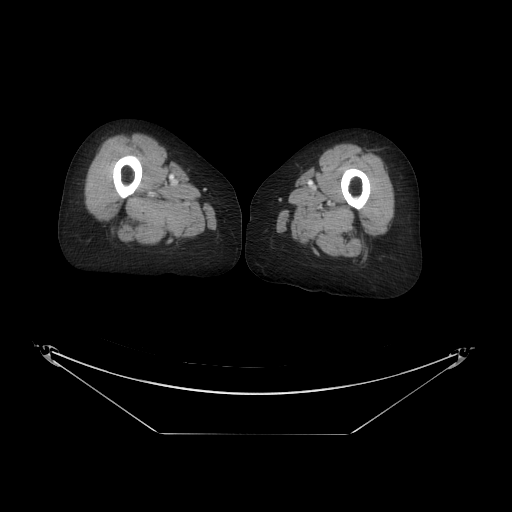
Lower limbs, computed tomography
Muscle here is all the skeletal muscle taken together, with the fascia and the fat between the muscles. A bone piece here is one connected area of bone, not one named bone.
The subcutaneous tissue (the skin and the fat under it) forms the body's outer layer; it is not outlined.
The muscle appears in 2 outlined pieces: piece 1: 125,131 145,133 155,138 165,147 214,210 216,219 216,228 214,230 207,234 199,235 175,248 163,251 126,248 114,244 107,237 102,228 102,223 90,214 85,207 83,195 85,178 89,165 100,144 107,137; inner edge: 128,154 135,155 139,158 139,160 141,163 141,166 142,167 142,176 141,177 140,183 135,191 129,196 125,198 121,198 116,192 114,185 113,184 113,179 112,178 112,169 114,166 114,162 115,162 119,158; piece 2: 341,142 351,142 360,146 374,149 387,167 394,190 394,217 389,229 385,234 374,238 365,262 359,266 350,266 337,261 319,257 307,247 281,235 276,230 279,212 283,208 287,193 297,178 319,158 324,150, around a hole outlined by 350,167 354,167 363,171 367,175 369,179 369,181 370,182 370,195 369,196 369,198 365,205 359,210 355,209 353,207 350,206 347,203 341,191 340,180 341,179 342,174 344,171 344,169 346,168 349,168. The left leg is outlined by 347,127 368,128 389,138 405,154 417,178 420,199 422,269 413,287 394,298 383,300 365,299 323,292 311,292 296,286 267,281 256,275 246,262 245,237 249,208 252,197 258,187 270,174 304,145 331,131. The bones appear in 2 outlined pieces: piece 1: 128,154 135,155 139,158 139,160 141,163 141,166 142,167 142,176 141,177 140,183 135,191 129,196 125,198 121,198 116,192 114,185 113,184 113,179 112,178 112,169 114,166 114,162 115,162 119,158; piece 2: 350,167 354,167 363,171 367,175 369,179 369,181 370,182 370,195 369,196 369,198 365,205 359,210 355,209 353,207 350,206 347,203 341,191 340,180 341,179 342,174 344,171 344,169 346,168 349,168. The right leg is outlined by 122,117 141,118 167,128 197,151 230,182 242,212 243,247 238,261 229,270 219,275 205,278 180,277 171,274 148,277 84,272 74,268 66,261 58,242 57,221 64,180 69,164 78,147 94,129 107,121.